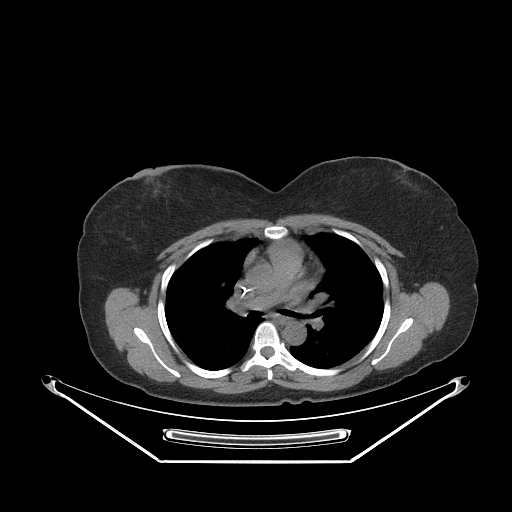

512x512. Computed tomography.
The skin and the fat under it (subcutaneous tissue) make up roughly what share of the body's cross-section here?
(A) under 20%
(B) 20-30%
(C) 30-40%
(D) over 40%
Answer: (D) over 40%
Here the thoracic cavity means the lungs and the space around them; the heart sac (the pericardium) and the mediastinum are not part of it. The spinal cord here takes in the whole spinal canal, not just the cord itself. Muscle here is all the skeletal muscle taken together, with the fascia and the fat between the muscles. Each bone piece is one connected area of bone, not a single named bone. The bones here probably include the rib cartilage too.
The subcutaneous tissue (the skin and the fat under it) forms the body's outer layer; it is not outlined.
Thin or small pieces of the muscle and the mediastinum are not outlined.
torso: 353,155 395,159 428,174 453,198 469,228 479,260 478,304 471,331 455,352 368,393 274,406 212,406 158,398 120,382 99,364 79,313 76,249 85,215 108,188 146,167 209,163 242,172 275,191 315,163
spinal cord: 268,346 269,347 271,347 273,349 273,350 274,351 274,352 273,353 273,354 272,355 271,355 269,357 265,357 261,353 261,349 262,348 263,348 264,347 267,347
thoracic cavity 1: 245,235 256,237 258,242 246,254 235,285 241,290 240,296 246,311 259,312 263,320 256,326 248,352 243,359 219,369 204,368 192,361 176,343 170,331 165,311 166,290 174,272 196,252 212,243 240,238
thoracic cavity 2: 319,232 334,233 359,246 373,262 383,286 382,315 372,338 353,357 328,368 306,364 289,350 291,346 300,346 306,341 307,325 312,324 310,316 318,307 320,294 312,297 310,294 322,280 326,268 305,237
mediastinum 1: 240,276 241,287 261,309 291,309 309,296 312,298 319,294 317,307 309,316 311,324 306,325 307,336 303,343 291,345 288,349 276,326 271,321 264,320 262,314 257,310 247,311 241,296 242,290 236,285
mediastinum 2: 300,230 304,230 308,232 309,231 321,231 316,232 311,235 307,235 304,237 304,241 317,254 319,258 316,256 314,252 301,239 297,237 294,237 293,236 286,236 288,235 290,231 292,231 293,232 297,232
mediastinum 3: 260,234 261,234 264,237 265,237 266,238 268,238 269,239 267,241 266,241 265,242 264,242 263,243 258,245 256,247 255,247 258,244 258,243 259,242 259,240 258,239 258,238 256,236 253,235 259,235
mediastinum 4: 253,248 254,248 247,255 247,256 245,259 245,262 244,263 244,266 242,269 242,271 242,268 243,267 243,264 244,263 244,260 245,259 245,258 246,257 246,256 247,255 247,254
muscle: 301,213 329,214 349,220 367,227 384,238 403,254 403,257 393,255 392,263 396,268 398,279 406,292 417,291 420,286 429,281 436,281 445,287 450,299 450,307 446,320 441,328 441,331 416,355 394,368 378,371 352,386 331,391 293,389 272,383 270,385 242,393 218,393 210,389 200,389 184,385 173,385 166,382 158,382 146,375 138,373 129,365 116,348 108,333 105,322 104,304 112,289 116,287 136,288 138,289 140,301 145,303 147,301 153,279 158,272 162,261 161,259 157,259 158,255 178,239 221,220 232,218 261,218 273,222 286,215; inner edges: 271,225 282,225 293,232 330,232 332,228 336,228 353,235 362,244 369,258 372,261 377,257 385,267 388,288 383,289 383,300 388,298 390,304 386,328 366,357 358,361 365,350 364,347 353,357 337,365 342,370 334,375 316,376 298,368 292,371 277,363 271,367 272,378 269,380 265,367 255,364 242,371 239,361 231,366 231,372 226,375 217,378 200,376 184,363 184,360 192,360 179,346 178,352 173,349 160,326 157,306 159,299 164,302 166,296 160,290 163,272 172,263 178,268 186,255 204,240 212,238 215,243 245,235 262,235 264,228, then 135,327 141,328 144,331 150,340 156,353 161,359 161,360 167,366 174,370 176,370 180,374 180,376 179,377 175,376 172,373 168,371 156,359 149,345 147,343 141,341 134,333 133,329, then 409,317 413,319 413,321 411,325 405,331 401,332 394,339 391,344 390,349 387,354 379,361 373,365 371,363 371,361 373,359 377,358 380,356 385,351 390,339 397,331 402,322 406,318 408,318
pericardium: 285,237 293,237 301,240 313,252 315,256 323,263 323,272 309,295 296,306 285,309 281,308 261,308 248,296 241,285 241,276 243,269 245,266 246,259 248,255 255,248 267,242 270,239 272,238 284,238
bones 1: 263,321 269,321 275,326 280,339 299,361 315,368 341,367 342,370 334,375 316,376 298,368 292,371 277,363 271,367 270,380 267,378 267,369 261,365 255,364 246,371 242,371 239,365 247,357 255,330; inner edge: 268,346 269,347 271,347 273,349 273,350 274,351 274,352 273,353 273,354 272,355 271,355 269,357 265,357 261,353 261,349 262,348 263,348 264,347 267,347
bones 2: 387,298 389,299 389,303 390,304 390,315 389,316 389,319 388,320 386,328 381,338 379,340 375,347 372,350 372,351 362,360 358,361 360,356 365,350 366,346 373,338 380,325 381,319 383,315 384,301
bones 3: 184,360 187,360 195,364 199,367 201,367 204,369 207,369 208,370 219,370 220,369 227,368 231,366 233,367 233,368 231,372 226,375 224,375 217,378 207,378 206,377 200,376 194,373 184,363 183,361
bones 4: 159,299 162,299 164,302 164,311 165,312 166,322 167,323 169,331 175,343 178,347 178,352 176,352 173,349 167,340 166,337 164,335 162,331 162,329 160,326 158,316 157,315 157,306 158,305 158,301
bones 5: 135,327 141,328 144,331 150,340 156,353 161,359 161,360 167,366 174,370 176,370 180,374 180,376 179,377 175,376 172,373 168,371 156,359 149,345 147,343 141,341 134,333 133,329
bones 6: 409,317 413,319 413,321 411,325 405,331 401,332 394,339 391,344 390,349 387,354 379,361 373,365 371,363 371,361 373,359 377,358 380,356 385,351 390,339 397,331 402,322 406,318 408,318
bones 7: 271,225 282,225 283,226 286,227 288,229 289,232 287,234 287,235 286,235 285,236 283,236 282,237 272,237 271,238 269,238 268,237 266,237 263,235 263,230 264,229 264,228 266,226 270,226
bones 8: 172,263 174,263 177,266 177,268 173,272 172,275 170,277 170,279 167,284 167,286 165,290 165,293 164,294 162,293 160,290 160,287 161,286 161,280 162,279 162,275 163,274 163,272 164,270 170,264
bones 9: 375,257 377,257 381,261 381,262 385,267 385,269 387,273 387,278 388,279 388,288 387,289 385,289 384,288 384,286 383,285 383,282 382,281 381,276 376,266 374,264 374,262 373,260
bones 10: 332,228 336,228 337,229 340,229 341,230 344,230 345,231 349,232 352,235 353,235 362,244 363,246 363,249 359,245 358,245 352,240 348,238 346,238 341,235 339,235 334,232 332,232 331,231 331,229
bones 11: 210,238 212,238 213,239 213,242 199,249 193,254 192,254 186,260 185,260 183,262 184,260 184,258 186,256 186,255 193,248 194,248 199,243 200,243 202,241 204,240 206,240 207,239 209,239